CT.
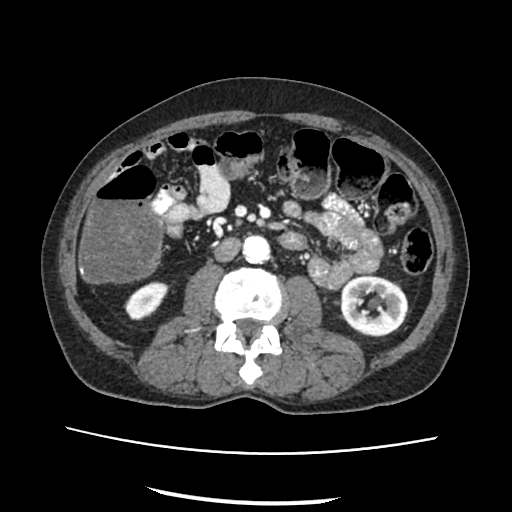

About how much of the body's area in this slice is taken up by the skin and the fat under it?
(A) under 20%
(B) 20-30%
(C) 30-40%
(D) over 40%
Answer: (B) 20-30%
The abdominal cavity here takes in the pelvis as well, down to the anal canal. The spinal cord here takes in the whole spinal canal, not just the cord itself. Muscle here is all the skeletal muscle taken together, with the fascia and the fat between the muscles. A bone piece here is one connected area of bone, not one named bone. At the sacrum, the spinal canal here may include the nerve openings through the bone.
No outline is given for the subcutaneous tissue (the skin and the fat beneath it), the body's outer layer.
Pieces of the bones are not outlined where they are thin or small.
torso: 293,415 390,405 421,393 437,379 453,349 468,291 470,260 464,222 448,179 433,156 368,103 328,86 287,78 237,76 204,82 120,123 72,171 41,243 40,277 48,317 70,369 97,392 193,409 248,397
muscle: 291,403 301,403 306,401 315,401 334,397 341,392 347,390 375,371 394,363 407,352 417,348 425,341 427,336 433,329 435,323 444,311 447,303 447,293 449,290 449,283 452,278 452,273 455,261 455,254 452,248 453,246 452,245 452,233 450,228 449,216 447,213 446,206 443,202 441,195 434,182 411,159 378,135 362,128 347,124 343,121 329,116 324,116 315,113 307,113 306,112 256,113 247,110 227,110 226,111 200,114 183,118 165,126 160,127 154,131 152,131 136,140 122,145 110,152 92,168 80,184 79,188 71,200 70,207 64,221 63,233 60,239 58,252 59,275 62,285 64,287 64,295 66,298 68,308 77,321 79,326 88,334 87,338 101,351 103,351 106,354 117,359 122,360 126,363 141,381 149,386 165,393 179,396 219,397 240,390 253,390 263,392 265,394 271,397 274,397 282,402 290,402; inner edges: 247,384 262,374 260,353 281,353 283,279 305,275 321,326 371,352 415,326 435,267 426,209 401,168 374,147 279,117 134,148 97,189 76,242 80,304 139,347 183,313 189,276 219,264 214,347 244,357, then 186,333 188,333 189,332 195,332 196,331 198,331 201,328 201,327 195,327 194,328 189,328 188,329 185,329 184,330 184,331
bones: 247,384 252,384 262,374 255,362 260,353 281,353 280,337 275,324 285,306 285,300 282,284 274,274 261,268 240,267 224,274 214,296 214,308 220,319 214,328 214,347 218,351 235,352 244,357 239,374, around a hole outlined by 245,336 254,336 255,335 257,335 260,332 260,330 263,324 263,322 262,321 256,321 250,318 246,318 245,319 239,319 235,321 237,325 237,329 238,330 237,331 238,332 240,332 243,335
abdominal cavity: 366,352 415,326 431,293 436,253 409,177 374,147 257,117 134,148 97,189 78,231 76,275 78,300 105,333 148,345 161,323 183,313 189,276 216,263 225,273 261,267 282,283 305,275 322,303 321,326
spinal cord: 245,336 254,336 255,335 257,335 260,332 260,330 263,324 263,322 262,321 256,321 250,318 246,318 245,319 239,319 235,321 237,325 237,329 238,330 237,331 238,332 240,332 243,335